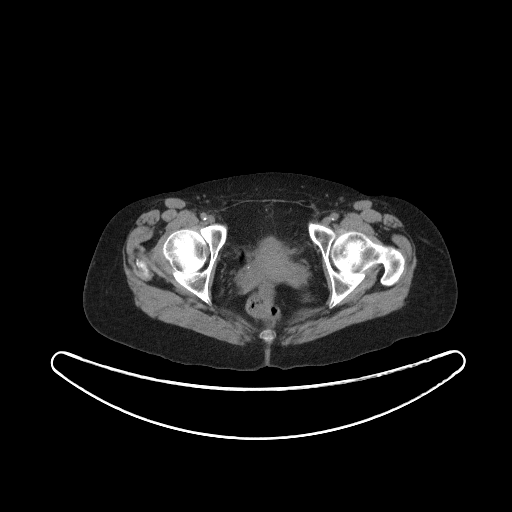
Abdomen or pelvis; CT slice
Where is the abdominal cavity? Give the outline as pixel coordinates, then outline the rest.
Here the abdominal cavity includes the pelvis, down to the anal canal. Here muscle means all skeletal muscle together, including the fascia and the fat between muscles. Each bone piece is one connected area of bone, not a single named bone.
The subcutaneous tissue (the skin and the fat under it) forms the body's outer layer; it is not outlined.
The abdominal cavity is outlined by 243 203; 290 203; 311 210; 311 217; 306 227; 313 243; 312 246; 319 256; 328 293; 323 304; 300 307; 274 325; 259 327; 240 313; 219 306; 212 301; 212 288; 220 259; 220 250; 228 235; 228 226; 224 223; 222 213; 230 207. The muscle appears in 2 outlined pieces: piece 1: 169 197; 193 200; 201 203; 206 209; 227 201; 231 202; 232 200; 241 199; 276 198; 305 200; 316 203; 322 209; 341 208; 357 200; 367 199; 380 201; 403 223; 407 235; 415 246; 417 261; 405 304; 386 315; 349 325; 308 342; 286 346; 274 343; 269 349; 267 349; 258 339; 240 346; 152 318; 134 303; 134 296; 127 283; 123 269; 122 246; 133 223; 139 215; 155 201, around holes outlined by 243 203; 304 206; 311 210; 311 222; 337 235; 354 230; 394 247; 405 259; 403 272; 392 285; 383 285; 384 268; 376 264; 329 308; 331 280; 313 243; 328 293; 324 303; 259 327; 183 287; 161 252; 172 232; 223 224; 222 213 and by 142 256; 144 256; 146 258; 146 259; 147 260; 147 266; 148 267; 148 269; 149 270; 149 276; 145 276; 142 273; 142 272; 141 271; 141 270; 139 268; 138 268; 136 265; 136 263; 135 262; 136 261; 136 259; 138 257; 141 257 and by 266 328; 269 328; 270 329; 271 329; 271 331; 272 332; 272 334; 273 335; 274 335; 274 338; 273 339; 273 340; 270 343; 264 341; 261 338; 260 338; 259 337; 259 334; 260 333; 260 332; 263 329; 265 329; piece 2: 219 252; 219 259; 217 262; 217 264; 215 268; 215 272; 214 273; 214 277; 213 278; 213 282; 212 283; 212 287; 211 288; 211 297; 209 293; 209 282; 210 281; 211 272; 214 266; 214 264; 218 257. The torso is outlined by 257 172; 307 174; 345 184; 365 194; 399 197; 418 207; 440 231; 453 265; 458 293; 449 322; 437 331; 404 338; 345 361; 288 369; 265 366; 253 371; 178 363; 98 333; 85 316; 82 292; 96 244; 111 217; 129 203; 148 196. The bones appear in 4 outlined pieces: piece 1: 310 221; 331 228; 337 235; 354 230; 362 232; 375 243; 394 247; 405 259; 399 279; 392 285; 383 285; 380 277; 384 268; 382 264; 376 264; 365 271; 364 278; 349 294; 334 307; 329 308; 331 280; 321 251; 309 236; 307 225; piece 2: 216 223; 225 224; 227 226; 227 235; 225 242; 219 250; 210 272; 208 282; 208 293; 211 298; 211 304; 209 305; 176 281; 173 276; 172 269; 168 261; 162 255; 161 250; 166 238; 172 232; 176 230; 182 228; 198 230; 202 227; piece 3: 142 256; 144 256; 146 258; 146 259; 147 260; 147 266; 148 267; 148 269; 149 270; 149 276; 145 276; 142 273; 142 272; 141 271; 141 270; 139 268; 138 268; 136 265; 136 263; 135 262; 136 261; 136 259; 138 257; 141 257; piece 4: 266 328; 269 328; 270 329; 271 329; 271 331; 272 332; 272 334; 273 335; 274 335; 274 338; 273 339; 273 340; 270 343; 264 341; 261 338; 260 338; 259 337; 259 334; 260 333; 260 332; 263 329; 265 329.